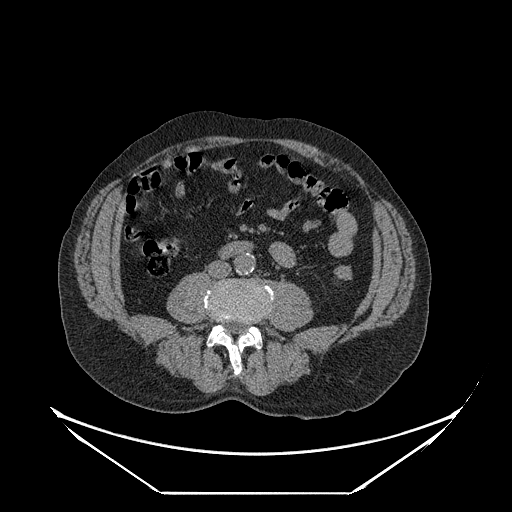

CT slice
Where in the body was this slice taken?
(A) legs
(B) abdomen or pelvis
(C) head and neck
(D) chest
Answer: (B) abdomen or pelvis
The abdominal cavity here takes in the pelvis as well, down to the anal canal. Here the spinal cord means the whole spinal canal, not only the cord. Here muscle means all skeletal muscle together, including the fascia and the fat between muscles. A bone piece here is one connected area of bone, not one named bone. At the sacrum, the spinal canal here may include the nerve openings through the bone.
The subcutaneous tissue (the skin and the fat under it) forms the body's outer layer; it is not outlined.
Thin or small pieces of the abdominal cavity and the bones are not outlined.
{"abdominal_cavity":[[[257,142],[276,144],[311,158],[368,197],[372,205],[372,271],[351,321],[290,333],[314,316],[312,301],[302,287],[257,276],[212,281],[204,271],[184,275],[169,292],[165,309],[174,322],[152,314],[130,315],[124,306],[120,233],[131,179],[178,155]]],"torso":[[[205,109],[262,119],[296,117],[341,133],[377,164],[416,220],[431,265],[425,338],[415,361],[369,406],[313,419],[267,415],[237,400],[191,412],[160,412],[115,396],[94,381],[72,356],[60,315],[57,259],[75,206],[98,174],[135,140],[176,116]]],"bones":[{"outer":[[257,277],[265,280],[272,289],[274,297],[271,310],[256,324],[262,335],[262,346],[259,349],[254,346],[246,346],[243,349],[240,354],[242,368],[236,376],[227,348],[221,344],[211,346],[206,344],[209,332],[216,322],[204,307],[203,298],[215,281]],"hole":[[233,320],[234,321],[235,320],[236,320],[237,321],[242,322],[244,324],[247,325],[247,328],[246,329],[245,332],[244,332],[241,334],[237,334],[236,335],[233,335],[232,334],[227,332],[227,330],[224,326],[224,324],[228,321],[232,321]]}],"muscle":[{"outer":[[205,136],[293,139],[315,146],[339,158],[356,170],[393,205],[403,218],[411,237],[415,259],[415,281],[413,293],[405,312],[388,328],[361,334],[338,345],[329,351],[313,372],[300,382],[281,391],[262,396],[250,393],[240,384],[229,384],[225,389],[215,393],[207,394],[196,390],[161,371],[150,355],[129,335],[98,317],[88,307],[81,293],[73,259],[76,240],[90,203],[96,194],[107,184],[153,154],[168,146]],"hole":[[257,142],[365,192],[372,271],[351,321],[292,333],[313,318],[312,301],[290,281],[268,280],[262,346],[243,349],[236,376],[227,348],[206,344],[216,322],[204,307],[213,283],[204,271],[169,292],[174,322],[127,312],[120,233],[132,178],[178,155]]}],"spinal_cord":[[[233,320],[234,321],[235,320],[236,320],[237,321],[242,322],[244,324],[247,325],[247,328],[246,329],[245,332],[244,332],[241,334],[237,334],[236,335],[233,335],[232,334],[227,332],[227,330],[224,326],[224,324],[228,321],[232,321]]]}